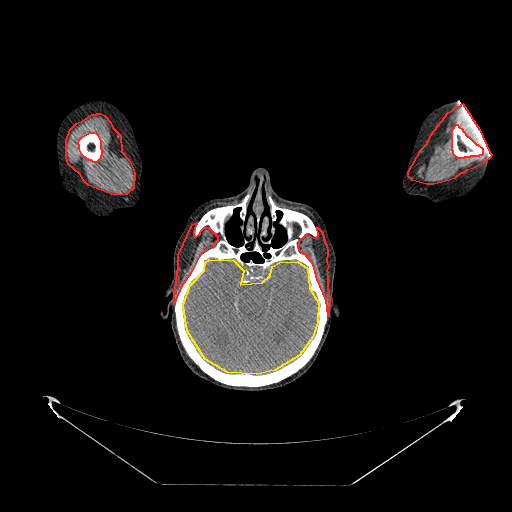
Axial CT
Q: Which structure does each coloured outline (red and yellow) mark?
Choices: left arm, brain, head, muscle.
A: red: muscle; yellow: brain.
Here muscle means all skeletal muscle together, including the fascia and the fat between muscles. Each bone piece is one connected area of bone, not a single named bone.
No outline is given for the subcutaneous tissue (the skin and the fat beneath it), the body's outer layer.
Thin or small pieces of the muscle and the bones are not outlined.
Outlined structures:
muscle 1: [[97,113],[100,113],[104,115],[110,122],[112,127],[120,135],[121,151],[128,159],[133,169],[134,173],[133,188],[126,194],[114,195],[88,185],[84,181],[80,174],[68,164],[66,157],[66,140],[70,129],[76,123],[83,120],[92,114],[96,114]] with a hole at [[90,132],[94,132],[96,133],[100,140],[100,148],[101,149],[101,155],[100,156],[100,158],[96,162],[93,162],[91,160],[89,160],[85,157],[84,157],[82,155],[79,149],[79,145],[78,144],[78,142],[80,138],[82,136]]
muscle 2: [[462,103],[479,129],[489,152],[491,154],[490,157],[483,163],[473,168],[466,170],[462,173],[460,173],[454,178],[449,180],[433,184],[426,184],[412,180],[408,176],[408,172],[421,149],[427,143],[431,134],[448,112],[452,110],[456,106],[460,106]], around a hole outlined by [[456,124],[457,124],[458,126],[462,129],[462,130],[467,136],[468,136],[476,144],[477,144],[482,148],[482,154],[481,155],[479,155],[478,156],[470,156],[469,157],[464,157],[463,158],[458,158],[453,154],[453,151],[452,150],[452,129]]
muscle 3: [[196,222],[193,231],[193,235],[195,237],[200,233],[202,229],[205,227],[208,227],[217,236],[217,240],[213,246],[206,249],[199,255],[190,273],[180,287],[179,291],[175,298],[174,304],[175,285],[176,284],[177,270],[178,269],[178,255],[192,224]]
muscle 4: [[317,227],[322,232],[323,239],[326,244],[327,252],[326,262],[328,266],[326,270],[327,273],[326,274],[327,275],[327,289],[329,297],[328,316],[326,300],[317,279],[313,264],[307,256],[299,250],[298,246],[300,239],[307,234],[315,238],[318,235]]
brain: [[209,259],[233,260],[243,270],[240,284],[262,282],[270,275],[272,266],[279,262],[297,261],[307,268],[309,288],[318,302],[317,322],[312,337],[299,355],[274,370],[256,374],[227,372],[205,359],[187,331],[183,305],[190,285],[204,270],[205,262]]
bones 1: [[261,180],[263,185],[261,220],[264,216],[270,215],[265,189],[278,206],[307,215],[317,229],[315,237],[307,233],[299,239],[297,246],[312,264],[325,300],[327,321],[315,352],[295,373],[278,382],[263,386],[233,386],[206,374],[186,353],[176,328],[174,305],[181,287],[200,255],[213,247],[218,240],[218,236],[208,226],[194,235],[199,219],[212,208],[240,202],[254,187],[247,206],[247,215],[253,215],[252,205]], around holes outlined by [[209,259],[233,260],[243,270],[240,284],[262,282],[270,275],[272,266],[279,262],[297,261],[307,268],[309,288],[318,302],[317,322],[312,337],[299,355],[274,370],[256,374],[227,372],[205,359],[187,331],[183,305],[190,285],[204,270],[205,262]] and by [[236,209],[238,209],[239,210],[238,211],[238,218],[240,221],[240,223],[239,224],[239,229],[241,233],[243,234],[243,241],[242,242],[242,244],[239,246],[237,246],[230,243],[227,238],[226,231],[225,230],[226,223],[232,217]] and by [[276,224],[278,224],[280,226],[281,226],[285,230],[285,233],[286,234],[286,240],[285,241],[285,242],[282,245],[281,245],[280,246],[278,246],[277,247],[274,247],[273,246],[272,246],[272,240],[273,239],[273,237],[275,235],[275,233],[276,232]] and by [[251,253],[256,253],[257,254],[258,254],[258,255],[259,256],[259,257],[262,259],[261,260],[261,261],[255,261],[252,258],[249,258],[246,260],[245,260],[244,259],[243,259],[242,258],[242,256],[243,256],[246,254],[250,254]]
bones 2: [[456,124],[457,124],[458,126],[462,129],[462,130],[467,136],[468,136],[476,144],[477,144],[482,148],[482,154],[481,155],[479,155],[478,156],[470,156],[469,157],[464,157],[463,158],[458,158],[453,154],[453,151],[452,150],[452,129]]
bones 3: [[90,132],[94,132],[96,133],[100,140],[100,148],[101,149],[101,155],[100,156],[100,158],[96,162],[93,162],[91,160],[89,160],[85,157],[84,157],[82,155],[79,149],[79,145],[78,144],[78,142],[80,138],[82,136]]
left arm: [[455,100],[456,101],[459,100],[463,104],[464,107],[474,120],[483,136],[491,155],[481,181],[470,193],[464,196],[452,197],[440,203],[434,203],[423,196],[410,195],[406,193],[402,186],[402,178],[407,168],[408,160],[418,130],[425,117],[438,106]]
head: [[258,167],[268,171],[278,195],[321,216],[335,252],[333,299],[339,316],[331,318],[325,343],[303,375],[278,388],[240,391],[197,376],[180,356],[170,315],[162,318],[160,312],[171,297],[165,292],[173,277],[174,248],[190,214],[210,199],[241,192]]; inner edges: [[236,209],[238,209],[239,210],[238,211],[238,218],[240,221],[240,223],[239,224],[239,229],[241,233],[243,234],[243,241],[242,242],[242,244],[239,246],[237,246],[230,243],[227,238],[226,231],[225,230],[226,223],[232,217]], then [[276,224],[278,224],[280,226],[281,226],[285,230],[285,233],[286,234],[286,240],[285,241],[285,242],[282,245],[281,245],[280,246],[278,246],[277,247],[274,247],[273,246],[272,246],[272,240],[273,239],[273,237],[275,235],[275,233],[276,232]], then [[263,187],[264,187],[264,193],[265,194],[265,198],[266,199],[266,201],[267,202],[267,204],[269,208],[269,215],[264,215],[261,219],[262,217],[262,214],[264,210],[264,205],[263,204],[263,199],[262,198],[262,188]], then [[251,253],[256,253],[257,254],[258,254],[258,255],[259,256],[259,257],[262,259],[261,260],[261,261],[255,261],[252,258],[249,258],[246,260],[245,260],[244,259],[243,259],[242,258],[242,256],[243,256],[246,254],[250,254]], then [[257,180],[258,182],[257,183],[257,186],[256,187],[256,192],[254,196],[254,199],[251,205],[251,209],[253,212],[253,214],[249,214],[248,215],[248,206],[250,203],[250,200],[252,197],[253,192],[255,189],[255,186],[256,185],[256,182]]
right arm: [[88,100],[103,100],[109,102],[126,116],[133,129],[142,161],[142,173],[140,179],[141,193],[139,200],[135,205],[119,209],[108,216],[94,215],[86,208],[83,202],[76,195],[68,192],[62,185],[58,169],[56,137],[59,125],[64,116],[72,108]]